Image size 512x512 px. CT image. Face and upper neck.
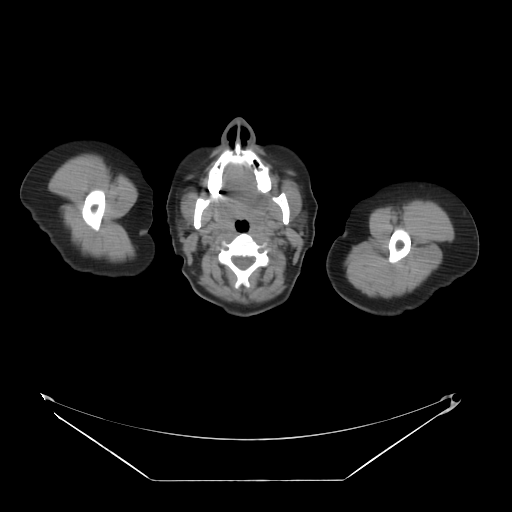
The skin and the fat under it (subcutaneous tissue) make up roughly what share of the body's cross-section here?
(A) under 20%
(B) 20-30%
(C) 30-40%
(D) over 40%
Answer: (C) 30-40%
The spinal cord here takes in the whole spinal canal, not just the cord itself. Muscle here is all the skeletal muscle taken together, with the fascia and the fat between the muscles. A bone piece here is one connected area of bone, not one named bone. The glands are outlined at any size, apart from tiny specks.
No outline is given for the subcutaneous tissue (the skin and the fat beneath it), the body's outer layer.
Outlines (x, y in pixels):
muscle 1: 249,143 285,161 297,172 306,208 295,219 293,228 302,233 307,227 307,235 282,293 271,300 246,305 222,300 197,283 178,237 190,229 190,224 182,217 177,218 175,212 182,177 224,144 229,147 207,171 209,196 195,199 192,226 196,230 202,226 203,211 221,195 223,174 229,165 251,168 257,190 264,194 270,191 270,168 251,148 244,147 with holes at 238,221 247,222 248,226 245,232 258,244 267,243 269,261 266,266 259,266 250,274 248,277 249,287 241,284 238,288 235,288 236,275 228,266 220,263 217,256 222,240 229,242 242,232 236,228 236,222 and at 281,192 284,192 285,193 285,195 286,196 286,198 289,205 289,209 290,210 290,214 289,215 288,223 286,225 284,225 282,223 282,212 281,211 280,207 273,200 272,200 272,197 274,196 277,196
muscle 2: 414,198 430,199 437,202 448,213 451,219 455,231 455,239 447,245 444,251 443,261 438,269 413,291 391,298 369,297 348,282 345,276 343,261 351,247 366,238 368,234 368,216 372,209 386,204 400,204; inner edge: 396,228 402,228 404,229 409,234 410,236 410,239 411,240 411,245 410,246 409,252 404,257 394,263 391,263 388,260 388,258 389,257 389,249 388,248 388,243 389,242 389,240 390,239 390,237 392,233
muscle 3: 86,152 94,152 103,156 131,179 138,190 139,194 137,204 126,230 130,237 136,243 137,252 135,258 128,264 113,264 82,255 71,243 67,231 59,217 51,194 47,190 47,184 51,176 61,164 70,157, around a hole outlined by 94,189 101,189 103,190 104,194 105,195 105,207 104,208 104,212 101,219 101,222 100,223 99,229 97,231 94,230 91,227 90,227 84,221 82,217 82,213 81,212 81,210 84,203 85,197 90,191
spinal cord: 234,256 235,256 236,257 254,257 254,261 248,267 247,267 245,269 241,269 240,268 239,268 233,262 233,261 232,260 232,257 233,257
parotid glands 1: 305,210 306,210 307,211 307,222 308,223 308,225 305,228 305,229 302,232 298,232 297,231 296,231 296,230 294,228 294,225 295,224 295,223 296,222 296,219 298,217 298,216 303,211 304,211
parotid glands 2: 176,218 177,219 179,219 180,218 182,218 187,223 188,223 189,224 189,229 184,234 183,234 182,235 179,235 177,233 177,230 176,229
head and neck: 236,116 243,117 250,124 258,142 282,144 297,152 308,168 318,205 313,244 304,256 289,298 279,306 248,317 229,314 193,291 181,272 182,258 174,253 166,222 166,200 176,164 191,149 217,143 226,125; inner edges: 233,126 236,126 236,132 235,133 235,137 234,138 234,145 233,146 233,147 232,147 232,146 230,143 230,140 228,137 228,135 229,134 229,132 230,131 230,130 231,129 231,128, then 238,221 245,221 246,222 247,222 247,224 248,225 248,226 247,227 247,229 246,229 245,230 245,231 241,231 240,230 239,230 238,229 237,229 236,228 236,222 237,222, then 241,127 244,127 247,130 247,132 248,133 248,136 247,137 247,138 246,139 246,140 245,141 245,143 244,144 242,144 242,143 241,142
right arm: 79,137 103,139 124,150 140,166 153,190 153,220 149,232 155,242 156,254 151,265 137,276 112,279 72,270 62,260 50,243 48,236 38,228 31,219 29,212 20,202 19,187 32,164 52,146 62,141
bones 1: 236,141 244,148 251,149 269,168 271,188 264,193 258,190 251,167 227,165 222,174 220,195 202,211 201,226 196,229 193,226 196,199 198,197 206,199 210,196 207,187 208,171 219,155 224,150 233,148
bones 2: 242,232 249,234 258,244 263,242 267,243 269,248 267,253 269,261 266,266 259,266 250,274 248,277 249,287 241,284 238,288 235,288 234,285 237,280 236,275 228,266 220,263 217,256 222,240 229,242 with a hole at 234,256 235,256 236,257 254,257 254,261 248,267 247,267 245,269 241,269 240,268 239,268 233,262 233,261 232,260 232,257 233,257
bones 3: 94,189 101,189 103,190 104,194 105,195 105,207 104,208 104,212 101,219 101,222 100,223 99,229 97,231 94,230 91,227 90,227 84,221 82,217 82,213 81,212 81,210 84,203 85,197 90,191
bones 4: 396,228 402,228 404,229 409,234 410,236 410,239 411,240 411,245 410,246 409,252 404,257 394,263 391,263 388,260 388,258 389,257 389,249 388,248 388,243 389,242 389,240 390,239 390,237 392,233
bones 5: 281,192 284,192 285,193 285,195 286,196 286,198 289,205 289,209 290,210 290,214 289,215 288,223 286,225 284,225 282,223 282,212 281,211 280,207 273,200 272,200 272,197 274,196 277,196
left arm: 409,179 427,180 440,184 455,193 465,203 474,218 478,230 479,256 470,271 450,285 438,289 421,306 406,310 396,316 377,316 352,305 334,290 326,274 325,259 332,242 343,232 351,208 358,201 386,184